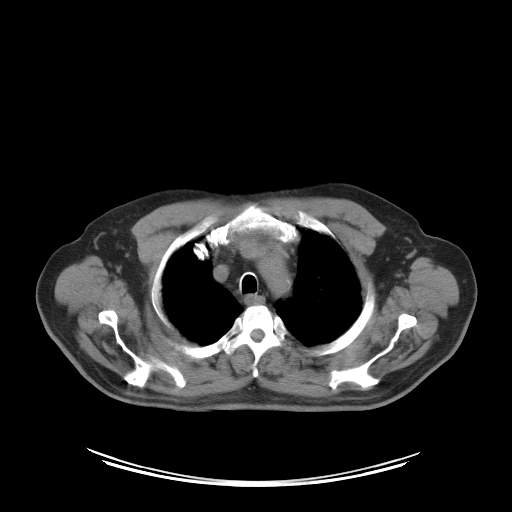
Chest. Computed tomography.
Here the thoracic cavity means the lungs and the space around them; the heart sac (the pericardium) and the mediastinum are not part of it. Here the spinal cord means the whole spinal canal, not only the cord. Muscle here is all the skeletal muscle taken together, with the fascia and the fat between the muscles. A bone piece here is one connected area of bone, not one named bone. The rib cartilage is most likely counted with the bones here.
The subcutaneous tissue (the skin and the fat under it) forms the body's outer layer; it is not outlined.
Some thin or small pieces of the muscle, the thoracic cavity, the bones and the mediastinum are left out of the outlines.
The spinal cord is outlined by 255 329; 260 329; 263 332; 263 333; 264 334; 264 335; 263 336; 263 337; 261 339; 261 340; 260 341; 255 341; 254 340; 253 340; 251 338; 251 337; 250 336; 250 334; 251 333; 251 332; 253 330; 254 330. The mediastinum is outlined by 250 231; 259 231; 268 234; 284 243; 299 241; 297 272; 292 286; 292 296; 285 301; 281 299; 276 300; 273 304; 275 313; 265 304; 260 303; 248 305; 244 308; 212 275; 212 263; 208 259; 210 250; 219 245; 227 245; 235 233. The bones appear in 5 outlined pieces: piece 1: 252 202; 293 224; 284 212; 301 210; 324 223; 337 241; 299 226; 298 241; 284 242; 259 230; 235 232; 200 260; 193 246; 203 233; 166 263; 162 305; 173 328; 165 325; 150 294; 170 244; 205 217; 216 217; 210 226; 215 228; piece 2: 257 304; 265 305; 279 316; 293 338; 285 347; 273 346; 265 351; 258 361; 256 377; 252 375; 254 356; 246 344; 240 345; 229 355; 222 350; 204 358; 185 355; 172 344; 172 342; 200 346; 211 344; 232 326; 234 320; 245 308 with a hole at 255 329; 260 329; 263 332; 263 333; 264 334; 264 335; 263 336; 263 337; 261 339; 261 340; 260 341; 255 341; 254 340; 253 340; 251 338; 251 337; 250 336; 250 334; 251 333; 251 332; 253 330; 254 330; piece 3: 104 309; 112 309; 117 314; 118 333; 130 350; 143 360; 148 361; 152 356; 175 366; 185 378; 185 385; 177 387; 171 375; 163 370; 153 371; 143 387; 126 382; 123 376; 134 368; 134 361; 116 341; 112 327; 100 323; 98 313; piece 4: 401 313; 415 316; 416 324; 412 327; 403 329; 393 347; 369 366; 368 372; 380 381; 365 389; 356 383; 347 381; 340 383; 335 389; 331 388; 328 385; 328 382; 332 370; 341 370; 358 366; 369 360; 389 344; 397 329; 398 316; piece 5: 369 276; 372 279; 373 282; 374 292; 375 293; 375 304; 373 313; 361 332; 351 343; 336 352; 319 356; 310 355; 305 350; 305 348; 310 348; 313 346; 325 344; 334 340; 345 332; 358 317; 362 309; 363 302; 366 296; 367 281. The torso is outlined by 320 181; 352 183; 391 201; 412 214; 426 233; 457 244; 471 262; 477 300; 459 347; 399 399; 374 409; 334 412; 188 412; 138 406; 92 385; 46 332; 35 302; 44 264; 58 247; 77 238; 90 221; 109 209; 174 187; 246 191. The thoracic cavity appears in 2 outlined pieces: piece 1: 302 228; 328 236; 337 242; 345 251; 359 281; 362 304; 357 317; 345 331; 328 342; 312 346; 304 345; 293 336; 283 320; 276 313; 274 305; 278 300; 285 302; 290 300; 293 296; 293 286; 298 272; 299 245; 301 240; 300 229; piece 2: 191 241; 194 241; 192 252; 195 256; 200 261; 206 259; 210 261; 212 278; 227 290; 243 308; 243 310; 233 320; 231 326; 219 338; 211 343; 204 345; 200 345; 191 341; 183 335; 169 319; 163 305; 163 275; 167 263; 176 251. The muscle is outlined by 289 196; 349 199; 385 225; 367 258; 380 304; 395 285; 403 283; 420 256; 454 275; 459 301; 439 322; 439 339; 422 357; 381 381; 369 372; 394 347; 401 332; 417 324; 415 315; 401 312; 383 349; 358 365; 329 372; 327 385; 333 390; 346 382; 372 389; 316 398; 274 392; 253 381; 230 392; 173 400; 124 392; 126 383; 143 388; 157 371; 170 375; 180 389; 187 380; 175 365; 152 355; 143 359; 130 349; 119 333; 114 309; 100 310; 97 319; 111 327; 115 341; 133 361; 123 380; 79 348; 74 322; 54 298; 55 282; 64 268; 96 255; 139 301; 145 272; 130 229; 141 217; 159 206; 189 199; 237 202 with a hole at 252 202; 293 224; 295 221; 284 213; 291 209; 324 223; 353 265; 361 303; 369 276; 375 293; 371 317; 347 346; 314 356; 305 350; 310 346; 294 337; 285 347; 265 351; 258 361; 256 377; 252 375; 254 356; 246 344; 229 355; 222 350; 204 358; 192 358; 177 350; 172 342; 196 343; 174 325; 170 328; 161 321; 150 294; 161 258; 179 234; 210 215; 216 217; 210 227; 221 226.